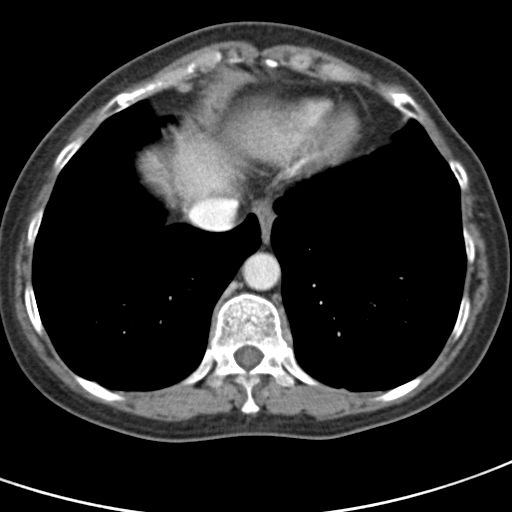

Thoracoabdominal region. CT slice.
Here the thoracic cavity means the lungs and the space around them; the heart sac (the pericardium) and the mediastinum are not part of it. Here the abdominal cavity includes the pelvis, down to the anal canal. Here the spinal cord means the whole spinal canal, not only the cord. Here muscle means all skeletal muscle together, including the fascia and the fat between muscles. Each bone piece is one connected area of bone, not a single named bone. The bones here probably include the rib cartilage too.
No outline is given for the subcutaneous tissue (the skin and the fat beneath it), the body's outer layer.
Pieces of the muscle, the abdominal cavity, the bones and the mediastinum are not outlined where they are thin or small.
{"spinal_cord":[[[247,345],[248,346],[253,346],[254,347],[255,347],[262,353],[262,358],[257,364],[256,364],[250,369],[245,369],[243,367],[242,367],[236,361],[236,360],[234,357],[234,354],[235,353],[235,352],[238,349],[241,348],[243,346],[246,346]]],"thoracic_cavity":[[[406,118],[416,120],[423,127],[447,162],[460,189],[466,265],[457,315],[434,361],[413,378],[386,390],[356,391],[331,386],[303,369],[295,357],[294,340],[282,297],[282,269],[271,241],[273,222],[278,216],[273,206],[296,184],[383,147],[406,124]],[[144,99],[156,117],[178,117],[164,123],[159,137],[133,157],[139,183],[167,213],[164,223],[221,232],[253,213],[260,243],[218,298],[207,345],[190,373],[160,388],[112,390],[74,372],[56,350],[36,301],[33,254],[45,208],[62,169],[104,120]]],"bones":[{"outer":[[241,293],[259,295],[277,308],[297,363],[320,385],[296,379],[292,386],[283,386],[272,375],[260,374],[252,388],[259,410],[244,413],[241,407],[246,391],[234,374],[225,376],[215,387],[206,384],[204,378],[192,384],[180,383],[201,362],[218,309]],"hole":[[247,345],[248,346],[253,346],[254,347],[255,347],[262,353],[262,358],[257,364],[256,364],[250,369],[245,369],[243,367],[242,367],[236,361],[236,360],[234,357],[234,354],[235,353],[235,352],[238,349],[241,348],[243,346],[246,346]]},[[212,50],[218,50],[222,54],[221,60],[214,67],[197,67],[193,73],[187,75],[180,81],[178,85],[156,91],[124,109],[110,115],[101,122],[97,119],[102,108],[118,93],[129,92],[138,85],[151,81],[170,70],[178,67],[185,67],[202,54]],[[381,87],[385,87],[386,88],[390,88],[391,87],[396,91],[407,93],[415,101],[421,112],[423,114],[423,120],[422,122],[419,122],[416,119],[411,117],[406,117],[403,113],[390,103],[389,101],[386,100],[381,95],[380,95],[378,93],[378,90]],[[72,372],[77,374],[79,376],[83,378],[85,378],[91,381],[94,381],[109,390],[116,392],[118,394],[123,396],[124,397],[124,400],[121,400],[120,401],[118,400],[107,401],[90,393],[88,391],[84,389],[77,382],[77,381],[74,378],[72,374]],[[27,282],[31,282],[32,284],[37,309],[39,313],[39,316],[40,317],[42,325],[45,330],[45,331],[41,335],[39,335],[34,329],[27,313],[27,310],[26,309],[26,306],[24,301],[24,289]],[[326,62],[331,62],[340,65],[344,68],[351,71],[354,74],[357,80],[356,82],[355,83],[353,82],[342,82],[341,81],[336,81],[335,80],[332,80],[331,79],[328,79],[322,77],[320,75],[319,72],[320,64]],[[419,375],[422,375],[423,376],[422,380],[416,387],[415,387],[404,395],[400,397],[398,397],[395,399],[390,400],[389,401],[374,400],[374,398],[376,396],[378,396],[384,393],[387,390],[389,390],[397,386],[399,386],[413,379],[415,377]],[[465,292],[467,293],[470,301],[469,314],[465,322],[462,332],[460,334],[459,337],[454,341],[451,337],[450,338],[449,337],[453,329],[453,327],[455,324],[455,322],[458,315],[458,312],[460,307],[460,303],[461,302],[461,299],[462,298],[463,293]],[[79,136],[82,136],[84,138],[85,138],[85,141],[72,155],[72,156],[68,160],[68,161],[65,164],[65,165],[61,169],[59,173],[57,174],[54,170],[54,168],[53,167],[53,164],[58,154],[60,152],[60,151],[67,144],[68,144]],[[450,159],[454,159],[458,161],[463,167],[464,170],[466,172],[466,174],[467,175],[467,179],[468,180],[468,183],[467,184],[467,187],[464,190],[461,190],[460,188],[460,186],[458,183],[458,181],[456,177],[454,175],[448,163],[448,161]]],"abdominal_cavity":[[[239,63],[274,69],[278,77],[285,79],[244,86],[225,104],[219,118],[218,156],[245,181],[251,208],[241,223],[221,231],[185,222],[166,224],[168,213],[163,204],[139,181],[134,169],[135,153],[157,140],[164,124],[178,121],[214,70],[225,64]]],"pericardium":[[[281,80],[305,83],[323,80],[324,82],[345,84],[356,90],[365,103],[372,120],[371,137],[364,149],[357,156],[339,165],[326,167],[307,177],[287,180],[270,178],[266,174],[242,163],[226,148],[220,137],[220,118],[225,106],[239,91],[248,85]]],"muscle":[[[416,101],[469,174],[476,222],[485,242],[489,292],[468,339],[444,372],[401,403],[319,421],[257,412],[253,388],[260,375],[272,376],[283,387],[292,387],[296,380],[310,386],[321,382],[356,392],[385,391],[374,401],[395,400],[416,388],[448,338],[454,342],[463,332],[471,308],[463,292],[466,266],[476,255],[474,239],[462,225],[461,191],[468,187],[468,175],[458,160],[447,161],[440,153],[420,123],[424,114]],[[57,154],[52,167],[58,175],[45,207],[33,214],[26,234],[26,245],[33,248],[33,253],[31,281],[24,286],[23,301],[35,332],[39,336],[46,332],[76,382],[107,402],[125,400],[113,390],[149,391],[178,382],[192,385],[204,379],[206,385],[215,388],[225,377],[234,375],[234,381],[245,391],[240,407],[243,413],[200,414],[180,421],[164,421],[114,409],[72,390],[36,354],[15,314],[13,264],[34,189]],[[228,40],[247,41],[259,50],[278,44],[310,46],[332,54],[376,78],[401,85],[413,98],[407,92],[396,90],[391,86],[381,86],[376,92],[356,83],[358,80],[351,70],[331,61],[319,64],[318,72],[320,76],[302,72],[307,70],[313,61],[308,54],[301,52],[294,53],[288,58],[287,65],[289,67],[279,66],[278,61],[270,57],[265,58],[263,61],[267,67],[259,63],[246,63],[243,62],[245,60],[244,57],[234,54],[227,58],[226,61],[228,63],[205,73],[184,79],[193,74],[197,68],[214,68],[223,58],[222,52],[218,49],[206,51],[185,66],[170,69],[151,80],[138,84],[129,91],[119,92],[130,84],[152,75],[186,53],[215,42]],[[106,102],[107,102],[101,108],[96,117],[96,119],[100,123],[99,125],[92,132],[92,133],[87,138],[87,139],[86,139],[86,138],[82,135],[79,135],[67,143],[62,148],[67,138],[72,132],[72,131],[74,130],[76,127],[90,114],[90,113]]],"mediastinum":[[[220,138],[242,164],[270,179],[287,181],[307,178],[328,168],[307,179],[296,183],[272,206],[277,216],[270,241],[281,269],[281,297],[293,342],[278,308],[251,292],[226,299],[210,324],[219,298],[261,243],[258,219],[253,212],[248,213],[252,208],[249,188],[219,156]],[[336,82],[359,84],[377,93],[403,114],[405,117],[405,124],[401,128],[395,131],[391,135],[389,141],[383,146],[377,148],[369,154],[354,158],[357,157],[365,149],[369,140],[372,137],[373,120],[368,111],[368,107],[360,95],[360,93],[348,84]],[[209,71],[213,71],[213,74],[203,84],[203,87],[196,94],[193,101],[189,104],[185,112],[180,113],[180,116],[176,116],[173,113],[170,113],[166,116],[156,116],[153,108],[145,99],[156,92],[176,87],[181,81],[195,77],[200,74],[205,74]]],"torso":[[[238,20],[305,26],[397,62],[425,87],[486,170],[508,234],[511,269],[505,309],[473,373],[447,396],[413,415],[325,440],[236,436],[154,441],[96,425],[62,409],[28,380],[12,354],[0,319],[0,221],[30,154],[60,117],[112,70],[186,32]]]}